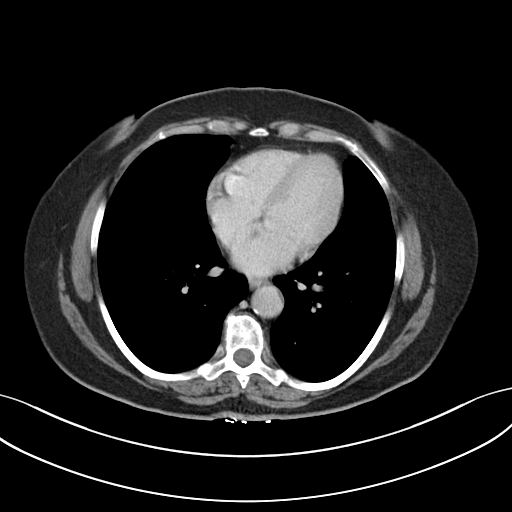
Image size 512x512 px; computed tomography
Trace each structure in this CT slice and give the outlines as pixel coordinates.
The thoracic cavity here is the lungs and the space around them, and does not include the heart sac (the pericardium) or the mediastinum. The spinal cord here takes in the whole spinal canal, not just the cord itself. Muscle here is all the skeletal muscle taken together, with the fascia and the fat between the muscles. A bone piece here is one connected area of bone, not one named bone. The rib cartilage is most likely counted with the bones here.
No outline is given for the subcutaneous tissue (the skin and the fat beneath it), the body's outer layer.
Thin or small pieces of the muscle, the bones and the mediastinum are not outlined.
The muscle appears in 2 outlined pieces: piece 1: [[218,115],[235,116],[242,119],[250,120],[253,122],[255,122],[257,124],[261,124],[264,122],[267,122],[272,120],[280,120],[281,119],[289,119],[298,122],[314,123],[318,125],[321,125],[325,127],[334,129],[355,138],[385,172],[391,182],[397,189],[398,192],[421,222],[428,237],[433,245],[434,258],[435,259],[435,265],[436,266],[436,285],[435,286],[434,301],[431,308],[430,314],[426,320],[423,328],[413,341],[393,360],[383,366],[374,369],[360,379],[345,388],[339,390],[326,397],[315,400],[312,402],[294,408],[274,408],[273,407],[269,407],[265,405],[256,403],[242,396],[228,397],[221,401],[209,405],[198,405],[192,403],[187,403],[170,394],[147,388],[128,376],[117,371],[97,358],[94,354],[82,343],[80,339],[73,331],[66,318],[62,313],[61,308],[59,305],[57,289],[56,288],[56,269],[57,268],[57,264],[58,263],[61,249],[78,215],[79,211],[86,202],[91,193],[106,174],[118,163],[130,150],[160,126],[171,122],[182,121],[196,117],[201,117],[202,116],[217,116]] with a hole at [[214,119],[231,124],[236,121],[245,124],[244,130],[231,129],[226,135],[249,136],[250,129],[261,126],[269,131],[269,137],[280,137],[279,127],[293,122],[300,128],[290,139],[308,141],[304,134],[311,130],[344,137],[363,149],[388,182],[389,187],[384,193],[394,233],[396,235],[399,232],[404,240],[403,272],[400,281],[393,283],[386,306],[391,311],[390,318],[381,338],[363,364],[334,387],[306,391],[284,382],[276,386],[262,375],[252,373],[243,388],[231,370],[224,371],[212,380],[201,376],[176,381],[152,378],[140,372],[126,358],[106,327],[97,299],[102,294],[97,255],[90,250],[92,223],[100,202],[108,202],[123,173],[159,131],[189,125],[204,128]]; piece 2: [[265,336],[268,336],[268,346],[269,347],[269,348],[270,349],[270,351],[271,352],[271,353],[272,354],[272,355],[278,366],[277,366],[276,367],[272,367],[270,365],[267,364],[263,360],[263,356],[265,353],[265,349],[266,348],[266,342],[265,341]]. The thoracic cavity appears in 2 outlined pieces: piece 1: [[200,133],[223,134],[231,140],[229,154],[207,188],[205,208],[221,255],[230,269],[245,276],[248,292],[226,314],[221,342],[209,359],[187,370],[165,372],[149,366],[131,350],[111,317],[98,274],[99,236],[106,205],[129,165],[156,142],[175,135]]; piece 2: [[352,156],[355,156],[375,178],[388,203],[395,234],[393,285],[378,325],[356,358],[331,378],[321,381],[303,380],[279,366],[269,346],[271,326],[282,313],[285,305],[284,294],[274,283],[273,278],[286,274],[308,261],[338,225],[345,202],[343,166]]. The pericardium is outlined by [[291,144],[318,146],[336,154],[340,160],[344,186],[344,202],[340,218],[333,231],[315,253],[302,264],[286,273],[277,274],[272,277],[252,277],[245,275],[230,268],[220,251],[215,234],[209,222],[206,208],[208,188],[218,170],[239,154],[259,145]]. The bones appear in 6 outlined pieces: piece 1: [[99,294],[130,350],[165,373],[209,360],[232,312],[260,323],[267,365],[303,381],[325,381],[357,358],[385,311],[391,313],[373,351],[338,385],[306,391],[284,382],[276,386],[252,373],[243,388],[231,370],[212,380],[166,381],[143,374],[110,335]], around a hole outlined by [[242,348],[249,350],[252,353],[252,354],[253,355],[253,359],[252,360],[252,361],[249,364],[248,364],[245,366],[241,366],[240,365],[239,365],[235,361],[235,360],[234,359],[234,354],[235,353],[235,352],[237,350],[238,350],[239,349],[241,349]]; piece 2: [[311,130],[318,130],[328,134],[338,135],[344,137],[350,140],[352,142],[355,142],[361,148],[362,148],[371,158],[384,175],[388,182],[388,185],[389,186],[386,192],[383,190],[376,178],[368,168],[346,147],[338,142],[311,141],[304,135],[305,133]]; piece 3: [[214,119],[225,120],[231,124],[236,121],[242,122],[246,126],[244,130],[231,129],[228,133],[210,133],[205,129],[203,132],[199,133],[175,134],[156,141],[149,146],[150,142],[159,131],[165,131],[174,127],[189,125],[200,125],[204,128],[209,121]]; piece 4: [[102,200],[105,200],[106,204],[105,205],[105,209],[103,214],[103,218],[101,222],[101,226],[99,230],[98,242],[97,243],[97,252],[96,254],[92,254],[90,250],[90,236],[91,235],[92,223],[93,222],[93,219],[95,215],[95,212],[100,202]]; piece 5: [[398,232],[399,232],[403,236],[403,239],[404,240],[404,246],[405,247],[405,260],[404,261],[404,266],[403,267],[403,272],[401,276],[401,279],[400,281],[398,283],[397,283],[396,282],[394,282],[394,271],[395,270],[395,259],[396,258],[396,235]]; piece 6: [[290,122],[293,122],[294,123],[297,123],[299,125],[299,127],[300,128],[299,129],[299,132],[297,134],[296,134],[295,135],[293,135],[290,137],[284,137],[283,136],[281,136],[279,134],[279,127],[285,123],[289,123]]. The torso is outlined by [[225,86],[292,89],[334,101],[368,119],[391,122],[425,144],[466,196],[479,243],[473,287],[437,357],[413,380],[332,413],[269,421],[203,420],[144,410],[93,391],[67,375],[46,351],[28,306],[22,263],[27,227],[43,192],[108,122]]. The mediastinum appears in 2 outlined pieces: piece 1: [[246,276],[252,278],[272,278],[273,283],[279,288],[283,294],[284,297],[284,305],[282,311],[275,321],[270,326],[268,335],[265,335],[265,331],[261,323],[251,314],[249,313],[235,313],[232,311],[230,311],[232,308],[243,300],[249,292],[248,281]]; piece 2: [[227,135],[253,136],[254,137],[268,136],[269,137],[289,138],[311,142],[334,143],[343,146],[353,155],[349,157],[343,163],[343,165],[336,153],[318,145],[301,144],[300,143],[259,144],[239,153],[225,163],[230,154],[230,145],[232,142],[231,138]]. The spinal cord is outlined by [[242,348],[249,350],[252,353],[252,354],[253,355],[253,359],[252,360],[252,361],[249,364],[248,364],[245,366],[241,366],[240,365],[239,365],[235,361],[235,360],[234,359],[234,354],[235,353],[235,352],[237,350],[238,350],[239,349],[241,349]].